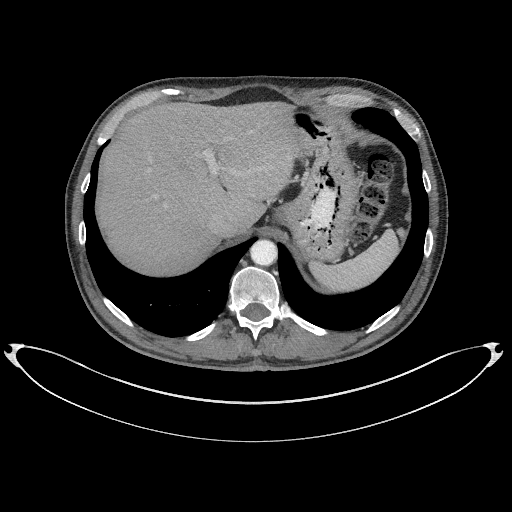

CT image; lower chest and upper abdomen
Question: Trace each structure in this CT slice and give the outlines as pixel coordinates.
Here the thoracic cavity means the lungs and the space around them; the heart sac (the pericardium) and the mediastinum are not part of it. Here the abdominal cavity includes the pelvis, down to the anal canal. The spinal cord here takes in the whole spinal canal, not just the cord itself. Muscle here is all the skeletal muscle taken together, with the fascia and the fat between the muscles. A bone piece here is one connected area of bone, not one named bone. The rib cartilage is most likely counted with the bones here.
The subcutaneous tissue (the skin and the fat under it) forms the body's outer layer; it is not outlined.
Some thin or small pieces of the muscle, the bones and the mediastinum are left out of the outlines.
Answer: The torso is outlined by (235, 372) (299, 370) (363, 356) (403, 331) (427, 300) (447, 242) (447, 189) (422, 117) (406, 99) (391, 89) (371, 80) (349, 76) (255, 74) (166, 77) (144, 82) (122, 93) (91, 126) (70, 171) (64, 194) (66, 247) (86, 307) (109, 335) (142, 355) (182, 366). The bones appear in 11 outlined pieces: piece 1: (255, 340) (262, 328) (270, 328) (273, 326) (275, 319) (281, 320) (286, 317) (317, 335) (327, 334) (328, 330) (310, 323) (291, 309) (287, 302) (281, 297) (278, 282) (273, 274) (255, 266) (247, 266) (233, 274) (225, 308) (235, 315) (241, 327) (246, 327) (251, 331); inner edge: (255, 321) (257, 321) (258, 320) (261, 319) (263, 317) (266, 316) (268, 314) (268, 310) (264, 306) (263, 306) (261, 304) (256, 304) (255, 303) (253, 303) (252, 304) (249, 304) (241, 312) (243, 315) (244, 315) (248, 318) (249, 318) (252, 320) (254, 320); piece 2: (99, 146) (102, 145) (109, 138) (117, 124) (128, 111) (137, 107) (147, 105) (157, 101) (166, 95) (168, 96) (177, 95) (182, 94) (183, 92) (179, 89) (164, 88) (159, 90) (144, 92) (134, 96) (124, 104) (112, 116) (104, 126) (96, 140) (96, 142); piece 3: (350, 108) (359, 108) (360, 107) (365, 107) (366, 106) (373, 106) (375, 103) (375, 101) (370, 96) (367, 96) (362, 94) (352, 94) (351, 93) (348, 93) (347, 94) (336, 93) (335, 94) (330, 94) (324, 97) (324, 100) (328, 105) (334, 105) (340, 107) (349, 107); piece 4: (416, 143) (419, 140) (419, 139) (420, 138) (420, 131) (419, 130) (419, 128) (408, 117) (407, 117) (405, 115) (404, 115) (398, 108) (397, 108) (396, 107) (394, 107) (392, 109) (392, 114) (399, 122) (399, 123) (401, 125) (401, 126); piece 5: (365, 333) (368, 333) (378, 328) (380, 326) (384, 324) (387, 321) (388, 321) (393, 316) (394, 316) (400, 308) (400, 306) (399, 304) (397, 304) (395, 305) (389, 310) (388, 310) (386, 312) (382, 314) (379, 317) (378, 317) (374, 321) (373, 321) (365, 329) (364, 331); piece 6: (131, 327) (132, 327) (134, 325) (134, 323) (130, 319) (130, 318) (124, 312) (123, 312) (117, 306) (116, 306) (107, 297) (105, 296) (103, 296) (102, 299) (104, 303) (106, 305) (106, 306) (111, 311) (111, 312) (120, 320) (121, 320) (127, 325); piece 7: (188, 341) (192, 341) (193, 340) (200, 339) (201, 338) (204, 337) (209, 333) (210, 333) (216, 326) (216, 321) (215, 320) (214, 321) (213, 321) (209, 325) (206, 326) (204, 328) (203, 328) (196, 332) (194, 332) (189, 335) (187, 335) (186, 336) (185, 336) (185, 339); piece 8: (424, 259) (428, 257) (431, 251) (431, 248) (432, 247) (432, 243) (433, 242) (433, 236) (432, 235) (432, 232) (431, 231) (431, 229) (429, 227) (427, 227) (427, 229) (426, 230) (426, 234) (425, 235) (425, 239) (424, 240) (424, 245) (423, 246) (423, 258); piece 9: (82, 246) (85, 246) (85, 241) (86, 240) (86, 230) (85, 229) (85, 224) (84, 223) (84, 221) (83, 220) (83, 219) (82, 219) (79, 222) (79, 225) (78, 226) (78, 237) (79, 238) (79, 243); piece 10: (427, 194) (428, 194) (430, 192) (430, 190) (431, 189) (431, 185) (430, 184) (430, 181) (429, 180) (429, 177) (428, 176) (428, 175) (427, 174) (425, 169) (424, 169) (423, 168) (422, 169) (422, 179) (423, 180) (423, 185) (424, 186) (424, 188) (425, 189); piece 11: (83, 194) (84, 194) (85, 193) (85, 192) (88, 187) (88, 185) (89, 184) (89, 180) (90, 179) (90, 172) (88, 172) (85, 175) (85, 176) (82, 181) (82, 183) (81, 184) (81, 186) (80, 187) (80, 189) (81, 190) (81, 192). The thoracic cavity appears in 2 outlined pieces: piece 1: (167, 336) (189, 334) (209, 324) (221, 313) (227, 301) (233, 270) (255, 238) (228, 248) (195, 270) (173, 278) (151, 278) (122, 266) (105, 246) (93, 212) (97, 164) (107, 141) (99, 147) (95, 155) (90, 184) (84, 195) (88, 259) (95, 279) (106, 296) (136, 323); piece 2: (335, 330) (367, 325) (398, 303) (422, 258) (428, 202) (417, 146) (391, 114) (375, 107) (357, 109) (353, 113) (354, 119) (393, 141) (402, 150) (408, 166) (412, 226) (398, 257) (370, 286) (354, 293) (326, 297) (308, 287) (285, 247) (278, 244) (282, 297) (300, 316). The muscle is outlined by (193, 360) (204, 360) (208, 358) (217, 359) (218, 360) (235, 360) (247, 357) (253, 357) (257, 359) (261, 356) (264, 356) (267, 358) (274, 357) (279, 359) (299, 358) (303, 360) (314, 360) (315, 359) (332, 357) (357, 350) (379, 339) (397, 326) (412, 310) (419, 300) (427, 284) (430, 275) (433, 254) (436, 247) (437, 226) (439, 220) (438, 217) (438, 193) (437, 192) (436, 179) (423, 132) (415, 118) (403, 107) (395, 101) (377, 94) (370, 90) (364, 89) (361, 87) (352, 87) (351, 86) (333, 85) (321, 88) (295, 88) (286, 86) (278, 86) (265, 82) (253, 82) (252, 83) (247, 83) (234, 86) (227, 86) (226, 87) (196, 88) (195, 87) (188, 87) (182, 85) (170, 84) (169, 85) (155, 86) (135, 93) (113, 108) (105, 117) (95, 131) (88, 146) (79, 174) (77, 177) (72, 200) (72, 210) (71, 211) (72, 230) (73, 231) (73, 237) (76, 249) (78, 252) (79, 265) (81, 270) (81, 277) (83, 281) (84, 287) (95, 309) (112, 327) (122, 335) (134, 343) (144, 348) (150, 349) (156, 352) (159, 352) (173, 357) (177, 357) (182, 359) (188, 359) (189, 358) with a hole at (188, 341) (210, 333) (225, 308) (255, 340) (262, 328) (286, 317) (324, 335) (329, 329) (365, 325) (368, 333) (394, 316) (433, 242) (427, 226) (431, 185) (416, 145) (419, 128) (398, 108) (390, 114) (374, 107) (370, 96) (351, 93) (330, 94) (325, 104) (309, 105) (265, 88) (211, 101) (161, 100) (183, 93) (164, 88) (124, 104) (100, 132) (91, 171) (80, 187) (84, 218) (79, 243) (86, 247) (102, 299) (115, 316) (131, 327) (135, 322). The mediastinum is outlined by (279, 284) (278, 271) (277, 270) (277, 257) (278, 256) (277, 244) (278, 243) (274, 238) (272, 238) (270, 236) (257, 236) (256, 237) (256, 240) (249, 247) (239, 260) (234, 270) (234, 272) (244, 266) (247, 265) (255, 265) (264, 269) (266, 269) (273, 273) (277, 278). The spinal cord is outlined by (255, 321) (257, 321) (258, 320) (261, 319) (263, 317) (266, 316) (268, 314) (268, 310) (264, 306) (263, 306) (261, 304) (256, 304) (255, 303) (253, 303) (252, 304) (249, 304) (241, 312) (243, 315) (244, 315) (248, 318) (249, 318) (252, 320) (254, 320). The abdominal cavity is outlined by (326, 296) (373, 283) (397, 257) (411, 226) (405, 157) (393, 142) (356, 122) (356, 109) (299, 104) (273, 90) (249, 88) (211, 101) (160, 100) (124, 116) (102, 150) (94, 200) (101, 236) (122, 265) (151, 277) (173, 277) (251, 237) (270, 235) (286, 247) (309, 287).